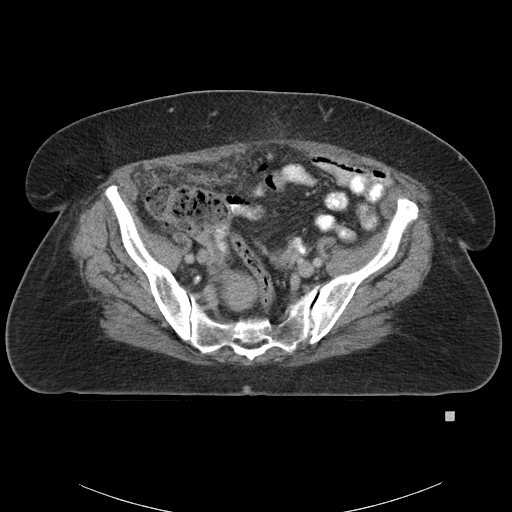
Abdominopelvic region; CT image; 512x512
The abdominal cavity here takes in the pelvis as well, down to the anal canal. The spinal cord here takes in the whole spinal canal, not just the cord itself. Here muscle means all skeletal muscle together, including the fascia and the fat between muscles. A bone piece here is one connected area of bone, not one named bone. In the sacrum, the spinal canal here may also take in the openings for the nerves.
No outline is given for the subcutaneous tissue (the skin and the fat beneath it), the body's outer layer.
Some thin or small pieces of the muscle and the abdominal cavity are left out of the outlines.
The muscle appears in 3 outlined pieces: piece 1: (281, 133) (286, 137) (310, 139) (326, 142) (352, 150) (360, 154) (369, 155) (391, 165) (417, 179) (423, 183) (430, 191) (432, 196) (431, 201) (432, 217) (431, 219) (433, 221) (430, 227) (431, 234) (433, 238) (431, 267) (423, 280) (421, 288) (416, 293) (408, 296) (399, 302) (393, 310) (394, 311) (393, 316) (389, 320) (393, 324) (392, 325) (396, 331) (386, 335) (382, 341) (369, 348) (361, 349) (343, 355) (329, 357) (317, 362) (307, 363) (299, 366) (286, 366) (278, 362) (265, 365) (259, 364) (253, 366) (251, 365) (242, 366) (220, 362) (210, 365) (194, 364) (169, 355) (166, 355) (163, 353) (150, 351) (140, 347) (135, 347) (124, 342) (116, 341) (106, 337) (104, 335) (103, 329) (99, 323) (100, 322) (99, 320) (102, 317) (102, 314) (93, 301) (90, 299) (88, 291) (77, 270) (74, 259) (69, 249) (68, 242) (71, 235) (80, 201) (85, 196) (94, 191) (97, 186) (107, 177) (112, 170) (124, 164) (142, 159) (149, 159) (158, 156) (176, 154) (186, 151) (193, 151) (214, 145) (232, 143) (235, 141) (250, 141) (256, 139) (261, 139) (270, 136) (275, 136) with a hole at (271, 145) (313, 148) (399, 181) (379, 205) (378, 233) (349, 248) (317, 238) (323, 284) (377, 253) (397, 197) (415, 202) (418, 217) (316, 343) (251, 360) (228, 345) (202, 353) (160, 311) (104, 190) (117, 186) (146, 249) (175, 277) (192, 240) (142, 222) (131, 173); piece 2: (300, 292) (306, 292) (305, 292) (299, 298) (295, 300) (290, 305) (285, 315) (285, 318) (283, 320) (282, 320) (278, 323) (272, 323) (270, 318) (274, 318) (275, 317) (275, 314) (273, 311) (274, 309) (278, 306) (281, 305) (292, 294) (294, 294) (295, 293) (299, 293); piece 3: (196, 292) (198, 292) (201, 294) (201, 298) (203, 301) (209, 306) (212, 307) (214, 309) (219, 311) (221, 313) (234, 320) (232, 321) (222, 321) (221, 320) (218, 320) (215, 318) (213, 318) (208, 313) (202, 309) (201, 305) (197, 301) (192, 293) (195, 293). The bones are outlined by (112, 184) (148, 252) (222, 322) (268, 317) (280, 323) (308, 290) (359, 269) (377, 253) (398, 197) (415, 202) (419, 211) (394, 257) (360, 283) (326, 335) (313, 344) (300, 342) (290, 354) (272, 346) (250, 360) (228, 345) (202, 353) (177, 335) (122, 243) (104, 195); inner edge: (263, 339) (266, 339) (267, 340) (267, 341) (264, 343) (263, 343) (262, 342) (260, 345) (259, 345) (256, 347) (245, 347) (244, 346) (243, 346) (241, 344) (243, 344) (244, 343) (259, 343) (260, 342) (261, 342). The spinal cord appears in 2 outlined pieces: piece 1: (263, 339) (266, 339) (267, 340) (267, 341) (264, 343) (263, 343) (262, 342) (260, 345) (259, 345) (256, 347) (245, 347) (244, 346) (243, 346) (241, 344) (243, 344) (244, 343) (259, 343) (260, 342) (261, 342); piece 2: (236, 339) (237, 339) (238, 339) (239, 339) (240, 340) (241, 341) (241, 342) (240, 343) (239, 343) (238, 343) (237, 342) (236, 342) (235, 341) (235, 340). The torso is outlined by (231, 89) (365, 101) (424, 127) (468, 159) (495, 212) (490, 244) (468, 252) (501, 328) (501, 357) (488, 382) (439, 395) (222, 396) (40, 393) (16, 377) (5, 349) (8, 310) (57, 215) (35, 210) (25, 195) (27, 168) (38, 147) (58, 129) (96, 112) (182, 92). The abdominal cavity is outlined by (271, 145) (313, 148) (381, 168) (399, 182) (379, 205) (385, 221) (378, 233) (349, 248) (334, 235) (317, 238) (327, 279) (292, 293) (273, 309) (274, 317) (235, 320) (177, 279) (192, 240) (179, 231) (172, 241) (142, 222) (138, 186) (130, 175) (142, 167) (213, 162).